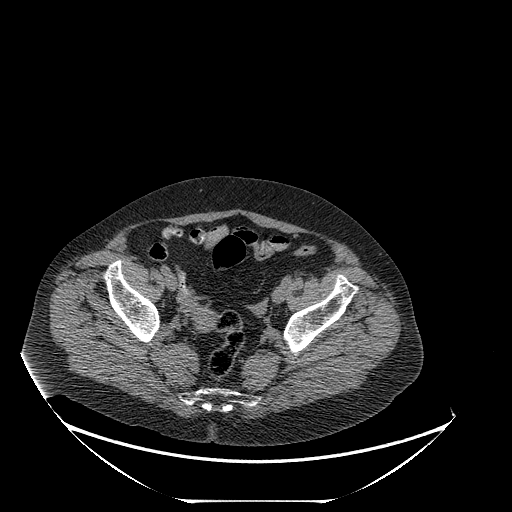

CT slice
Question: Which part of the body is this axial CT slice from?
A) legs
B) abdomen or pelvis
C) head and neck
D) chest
Answer: B) abdomen or pelvis
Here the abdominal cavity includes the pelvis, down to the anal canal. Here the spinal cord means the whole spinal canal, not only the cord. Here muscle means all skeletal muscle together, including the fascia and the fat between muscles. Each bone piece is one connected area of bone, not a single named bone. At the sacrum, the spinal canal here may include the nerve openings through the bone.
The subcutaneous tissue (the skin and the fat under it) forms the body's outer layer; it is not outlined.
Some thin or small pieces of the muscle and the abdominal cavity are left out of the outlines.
{"spinal_cord":[[[213,401],[214,401],[215,401],[216,401],[217,401],[218,402],[219,402],[220,402],[219,403],[218,403],[217,403],[216,404],[215,404],[214,403],[213,402]]],"bones":[[[337,274],[342,274],[350,282],[359,286],[358,292],[354,295],[342,315],[337,320],[316,335],[295,356],[285,344],[285,342],[283,339],[283,331],[290,316],[294,312],[300,310],[309,305],[311,305],[315,302],[318,302],[324,298],[333,288],[335,277]],[[118,259],[120,259],[122,261],[121,263],[122,273],[126,281],[134,289],[148,298],[155,305],[158,311],[160,320],[160,326],[158,331],[151,340],[150,344],[146,342],[143,342],[137,338],[110,304],[106,285],[102,277],[102,273],[109,264]],[[214,386],[227,387],[249,394],[258,394],[261,396],[261,399],[253,406],[235,403],[233,408],[227,412],[219,411],[217,405],[214,405],[210,411],[207,411],[200,406],[198,401],[191,405],[185,404],[180,400],[178,394],[183,391],[192,391],[200,387]]],"torso":[[[212,175],[268,179],[313,192],[354,218],[392,258],[410,294],[423,345],[423,364],[417,378],[384,409],[315,439],[236,446],[162,435],[115,420],[64,395],[48,397],[39,389],[25,367],[22,344],[36,289],[54,256],[71,239],[129,202],[174,182]]],"abdominal_cavity":[[[239,214],[261,227],[317,236],[331,245],[334,261],[320,278],[298,276],[289,282],[292,313],[283,341],[247,357],[240,385],[195,388],[199,354],[183,342],[165,341],[156,304],[166,282],[157,269],[147,268],[125,250],[126,236],[154,222],[186,225]]],"muscle":[[[236,208],[343,242],[392,292],[401,321],[399,339],[363,388],[253,419],[225,413],[235,404],[253,407],[262,399],[235,388],[251,354],[284,342],[296,357],[343,315],[360,290],[337,273],[324,297],[292,312],[290,282],[298,277],[320,279],[335,261],[332,245],[314,234],[261,226],[239,213],[186,224],[154,221],[127,233],[124,250],[147,269],[157,270],[165,282],[155,304],[127,281],[120,258],[101,273],[110,306],[137,339],[150,345],[161,328],[166,343],[183,343],[198,354],[198,382],[195,389],[180,391],[179,400],[187,406],[198,402],[207,412],[217,406],[218,411],[182,417],[66,368],[66,354],[49,330],[49,299],[63,266],[101,249],[118,230],[138,221]]]}